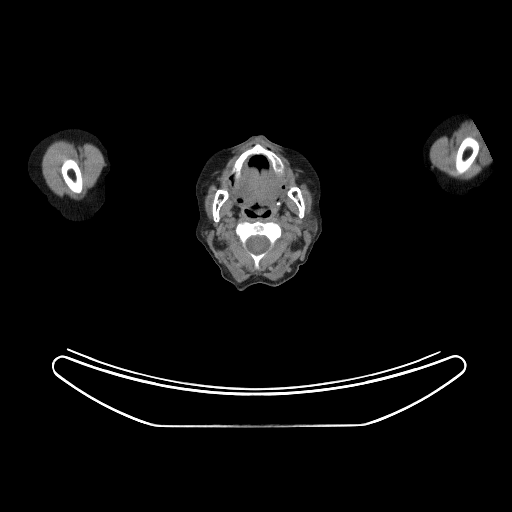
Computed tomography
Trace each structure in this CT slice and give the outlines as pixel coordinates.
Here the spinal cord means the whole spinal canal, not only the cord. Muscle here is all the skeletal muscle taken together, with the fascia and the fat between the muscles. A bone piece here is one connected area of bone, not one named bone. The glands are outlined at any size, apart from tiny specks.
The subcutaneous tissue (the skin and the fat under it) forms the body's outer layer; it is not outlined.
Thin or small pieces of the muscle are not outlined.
The parotid glands appear in 2 outlined pieces: piece 1: (309, 210) (311, 210) (313, 212) (313, 213) (315, 215) (315, 216) (317, 219) (317, 229) (316, 230) (315, 233) (313, 233) (311, 231) (309, 231) (307, 229) (306, 229) (306, 228) (304, 226) (304, 218) (305, 217) (306, 214) (309, 211); piece 2: (207, 218) (209, 220) (210, 220) (211, 221) (211, 223) (212, 224) (212, 228) (210, 230) (209, 230) (207, 232) (207, 234) (204, 237) (202, 235) (202, 234) (201, 233) (201, 230) (202, 229) (202, 222) (205, 219) (206, 219). The right arm is outlined by (68, 127) (82, 128) (95, 134) (106, 146) (108, 151) (108, 157) (111, 164) (110, 170) (105, 177) (105, 201) (93, 218) (83, 223) (75, 223) (69, 221) (52, 208) (48, 204) (46, 198) (40, 193) (31, 181) (27, 171) (27, 160) (32, 148) (48, 134). The spinal cord is outlined by (251, 236) (265, 236) (267, 238) (267, 239) (269, 242) (269, 244) (268, 245) (268, 247) (265, 250) (264, 250) (263, 251) (262, 251) (259, 253) (255, 253) (254, 252) (253, 252) (252, 251) (251, 251) (247, 247) (247, 240) (248, 239) (248, 238). The left arm is outlined by (461, 109) (463, 109) (468, 114) (475, 124) (483, 140) (485, 142) (485, 144) (487, 146) (495, 167) (495, 172) (490, 176) (489, 180) (474, 188) (467, 196) (464, 197) (451, 195) (443, 191) (438, 185) (434, 175) (422, 163) (422, 147) (425, 140) (433, 128) (444, 118). The muscle appears in 3 outlined pieces: piece 1: (261, 139) (281, 150) (286, 157) (308, 175) (316, 186) (316, 191) (312, 197) (312, 208) (305, 215) (306, 205) (301, 189) (293, 185) (286, 192) (298, 210) (297, 216) (300, 219) (303, 218) (303, 226) (314, 235) (304, 257) (291, 271) (281, 278) (270, 280) (263, 277) (252, 277) (245, 281) (237, 282) (225, 266) (219, 262) (206, 241) (205, 237) (213, 228) (213, 224) (206, 215) (203, 185) (208, 176) (219, 168) (233, 154) (234, 150) (253, 140), around holes outlined by (244, 221) (251, 223) (255, 221) (274, 222) (277, 223) (281, 228) (282, 232) (281, 236) (276, 240) (272, 248) (259, 262) (259, 268) (258, 269) (254, 268) (253, 260) (247, 254) (235, 233) (235, 228) (237, 224) (239, 222) (243, 222) and by (256, 143) (259, 143) (265, 148) (272, 151) (280, 158) (284, 165) (283, 173) (281, 174) (280, 173) (278, 174) (275, 173) (269, 163) (265, 167) (257, 167) (255, 165) (251, 165) (248, 161) (243, 165) (239, 178) (234, 181) (230, 174) (235, 161) (244, 151) (252, 147) and by (218, 189) (225, 189) (226, 190) (227, 190) (227, 191) (228, 192) (228, 197) (220, 207) (220, 209) (219, 210) (219, 220) (218, 221) (218, 222) (215, 222) (213, 220) (213, 216) (212, 215) (212, 203) (213, 202) (213, 199) (214, 198) (214, 195) (215, 194) (215, 192) and by (246, 210) (247, 210) (248, 210) (249, 210) (250, 210) (251, 210) (252, 211) (253, 212) (254, 212) (254, 213) (255, 214) (255, 215) (254, 215) (253, 216) (252, 216) (251, 216) (250, 215) (249, 215) (248, 215) (247, 214) (246, 213) (246, 212) (246, 211); piece 2: (58, 139) (64, 139) (71, 141) (75, 144) (89, 142) (95, 145) (103, 155) (105, 166) (102, 169) (95, 186) (90, 188) (86, 195) (81, 199) (73, 199) (66, 195) (62, 197) (56, 195) (49, 189) (43, 178) (41, 172) (42, 156) (48, 145) (53, 141); inner edge: (66, 159) (73, 159) (77, 163) (79, 167) (79, 169) (81, 173) (81, 177) (82, 178) (82, 189) (80, 193) (75, 193) (73, 192) (69, 188) (69, 187) (65, 182) (62, 176) (62, 174) (61, 173) (61, 166) (63, 162); piece 3: (469, 116) (475, 124) (483, 140) (485, 142) (485, 144) (487, 146) (487, 148) (493, 161) (488, 165) (485, 166) (477, 175) (470, 179) (463, 180) (458, 178) (450, 177) (445, 173) (432, 166) (429, 159) (429, 151) (432, 144) (436, 139) (442, 135) (447, 135), around a hole outlined by (468, 136) (470, 136) (474, 138) (478, 142) (479, 144) (479, 149) (478, 150) (478, 152) (474, 160) (472, 162) (470, 166) (463, 173) (461, 174) (458, 174) (456, 171) (456, 168) (455, 167) (455, 159) (456, 158) (456, 154) (457, 153) (458, 148) (461, 142) (464, 138). The bones appear in 6 outlined pieces: piece 1: (244, 221) (251, 223) (255, 221) (274, 222) (277, 223) (281, 228) (282, 232) (281, 236) (276, 240) (272, 248) (259, 262) (259, 268) (258, 269) (254, 268) (253, 260) (247, 254) (235, 233) (235, 228) (237, 224) (239, 222) (243, 222), around a hole outlined by (251, 236) (265, 236) (267, 238) (267, 239) (269, 242) (269, 244) (268, 245) (268, 247) (265, 250) (264, 250) (263, 251) (262, 251) (259, 253) (255, 253) (254, 252) (253, 252) (252, 251) (251, 251) (247, 247) (247, 240) (248, 239) (248, 238); piece 2: (256, 143) (259, 143) (265, 148) (272, 151) (280, 158) (284, 165) (283, 173) (281, 174) (280, 173) (278, 174) (275, 173) (268, 162) (268, 160) (263, 155) (253, 155) (243, 165) (240, 172) (239, 178) (234, 181) (232, 176) (230, 174) (235, 161) (244, 151) (252, 147); piece 3: (468, 136) (470, 136) (474, 138) (478, 142) (479, 144) (479, 149) (478, 150) (478, 152) (474, 160) (472, 162) (470, 166) (463, 173) (461, 174) (458, 174) (456, 171) (456, 168) (455, 167) (455, 159) (456, 158) (456, 154) (457, 153) (458, 148) (461, 142) (464, 138); piece 4: (66, 159) (73, 159) (77, 163) (79, 167) (79, 169) (81, 173) (81, 177) (82, 178) (82, 189) (80, 193) (75, 193) (73, 192) (69, 188) (69, 187) (65, 182) (62, 176) (62, 174) (61, 173) (61, 166) (63, 162); piece 5: (218, 189) (225, 189) (226, 190) (227, 190) (227, 191) (228, 192) (228, 197) (220, 207) (220, 209) (219, 210) (219, 220) (218, 221) (218, 222) (215, 222) (213, 220) (213, 216) (212, 215) (212, 203) (213, 202) (213, 199) (214, 198) (214, 195) (215, 194) (215, 192); piece 6: (293, 186) (296, 186) (300, 189) (302, 197) (304, 200) (305, 209) (304, 210) (304, 216) (302, 218) (300, 218) (298, 216) (298, 213) (299, 212) (299, 210) (296, 204) (294, 202) (294, 201) (292, 199) (291, 199) (287, 194) (288, 190). The head and neck is outlined by (254, 134) (263, 134) (275, 143) (293, 148) (309, 160) (320, 180) (319, 205) (322, 228) (307, 261) (289, 280) (278, 286) (259, 283) (245, 290) (237, 290) (221, 276) (219, 268) (196, 237) (195, 229) (199, 211) (195, 184) (206, 160) (214, 152) (238, 144), around holes outlined by (253, 156) (263, 156) (267, 160) (267, 162) (268, 163) (268, 164) (267, 165) (267, 166) (266, 166) (265, 167) (257, 167) (255, 165) (251, 165) (249, 163) (249, 160) and by (246, 210) (247, 210) (248, 210) (249, 210) (250, 210) (251, 210) (252, 211) (253, 212) (254, 212) (254, 213) (255, 214) (255, 215) (254, 215) (253, 216) (252, 216) (251, 216) (250, 215) (249, 215) (248, 215) (247, 214) (246, 213) (246, 212) (246, 211).